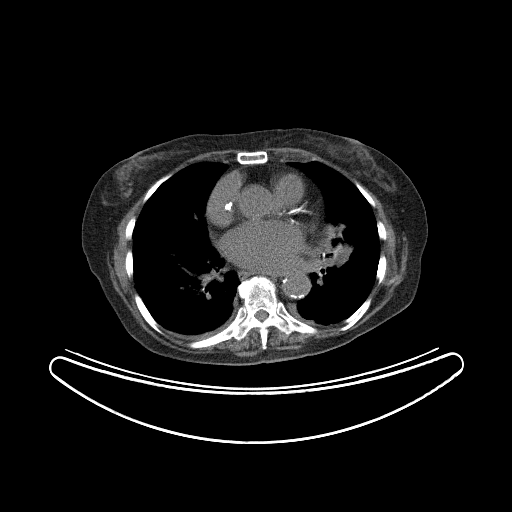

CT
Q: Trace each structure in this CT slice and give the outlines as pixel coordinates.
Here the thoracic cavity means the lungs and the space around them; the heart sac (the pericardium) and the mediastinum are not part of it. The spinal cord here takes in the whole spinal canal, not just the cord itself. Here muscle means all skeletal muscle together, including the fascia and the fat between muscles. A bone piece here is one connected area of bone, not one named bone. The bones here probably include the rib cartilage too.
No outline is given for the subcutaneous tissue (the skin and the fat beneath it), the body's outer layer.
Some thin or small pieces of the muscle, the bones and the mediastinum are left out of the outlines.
A: The mediastinum appears in 3 outlined pieces: piece 1: [[326,221],[325,234],[309,273],[311,287],[305,297],[294,301],[295,305],[290,312],[285,304],[278,299],[276,285],[271,279],[265,275],[253,275],[240,281],[237,273],[228,269],[224,259],[220,256],[242,270],[262,273],[285,270],[312,255],[323,235]]; piece 2: [[271,159],[272,160],[278,160],[282,162],[288,162],[289,163],[291,163],[290,164],[291,165],[299,168],[300,170],[309,178],[310,178],[315,184],[313,184],[303,173],[296,169],[294,169],[291,167],[288,167],[284,165],[277,164],[276,163],[265,163]]; piece 3: [[231,161],[236,161],[237,163],[241,165],[248,165],[245,165],[244,166],[241,166],[240,167],[235,167],[223,173],[228,168],[228,165],[225,162],[222,162],[230,162]]. The torso is outlined by [[292,127],[323,130],[354,138],[388,156],[411,179],[423,201],[428,225],[421,275],[412,302],[396,315],[342,346],[285,361],[254,365],[194,363],[166,357],[142,346],[121,324],[91,272],[82,249],[82,218],[97,180],[118,161],[176,137]]. The spinal cord is outlined by [[260,310],[263,310],[264,311],[265,311],[268,314],[268,315],[267,316],[267,317],[265,319],[264,319],[263,320],[259,320],[255,316],[255,314],[258,311],[259,311]]. The bones appear in 10 outlined pieces: piece 1: [[253,276],[265,276],[271,280],[277,299],[286,310],[318,331],[314,334],[293,331],[287,335],[270,326],[266,349],[263,349],[259,330],[254,327],[240,340],[231,338],[207,347],[189,347],[189,342],[216,334],[234,319],[241,303],[237,287],[241,281]], around a hole outlined by [[260,310],[263,310],[264,311],[265,311],[268,314],[268,315],[267,316],[267,317],[265,319],[264,319],[263,320],[259,320],[255,316],[255,314],[258,311],[259,311]]; piece 2: [[257,150],[263,150],[264,151],[267,152],[267,153],[268,154],[268,160],[266,162],[265,162],[264,163],[256,163],[255,164],[241,164],[240,163],[237,162],[237,161],[236,160],[236,154],[238,152],[239,152],[240,151],[256,151]]; piece 3: [[369,296],[371,298],[371,302],[370,303],[370,305],[369,306],[369,307],[367,309],[367,310],[363,314],[363,315],[353,325],[352,325],[348,329],[347,329],[346,330],[339,330],[339,328],[343,324],[343,321],[349,316],[350,316],[364,302],[364,301]]; piece 4: [[135,293],[137,293],[139,295],[143,303],[147,308],[150,314],[159,324],[159,326],[162,330],[162,332],[163,333],[162,334],[157,332],[144,319],[144,318],[142,316],[141,313],[139,311],[137,307],[137,305],[134,299],[134,294]]; piece 5: [[168,173],[171,173],[172,174],[172,175],[169,178],[168,178],[165,181],[164,181],[155,190],[155,191],[144,203],[143,202],[143,199],[144,198],[144,196],[145,195],[147,190],[158,179],[159,179],[161,177],[162,177],[164,175],[165,175]]; piece 6: [[380,254],[384,254],[385,255],[385,257],[386,258],[386,266],[385,267],[385,274],[384,275],[384,277],[383,278],[382,281],[380,283],[378,283],[378,282],[376,279],[376,273],[377,272],[377,268],[378,267],[378,263],[379,262],[379,258],[380,257]]; piece 7: [[129,249],[130,249],[131,250],[131,251],[132,252],[132,258],[133,259],[133,277],[132,278],[129,278],[129,277],[128,276],[128,275],[127,274],[127,272],[126,271],[126,269],[125,268],[125,257],[126,256],[126,253],[127,252],[127,251]]; piece 8: [[132,216],[135,216],[136,217],[136,220],[135,221],[135,224],[134,225],[134,227],[133,228],[133,231],[132,232],[132,237],[130,240],[128,240],[127,239],[126,239],[126,238],[125,237],[125,228],[126,227],[126,225],[127,224],[128,221]]; piece 9: [[355,182],[358,182],[368,192],[368,193],[371,196],[371,197],[373,199],[373,200],[374,201],[374,202],[375,203],[375,206],[374,207],[372,207],[372,206],[368,202],[368,201],[365,198],[365,197],[361,193],[361,192],[358,189],[358,188],[355,185]]; piece 10: [[377,220],[380,220],[383,223],[383,224],[384,225],[384,226],[385,227],[385,230],[386,231],[386,238],[384,240],[381,240],[379,238],[379,236],[378,235],[378,229],[377,228]]. The thoracic cavity appears in 2 outlined pieces: piece 1: [[201,161],[227,165],[207,198],[204,216],[210,244],[223,259],[225,267],[234,271],[239,279],[236,292],[240,303],[233,319],[224,328],[207,337],[192,340],[171,333],[160,325],[138,293],[134,281],[132,238],[137,218],[144,204],[156,190],[178,171]]; piece 2: [[310,161],[325,164],[354,184],[372,208],[380,245],[375,281],[367,297],[350,315],[329,327],[312,326],[290,313],[296,305],[295,301],[305,298],[310,292],[312,287],[310,277],[312,265],[322,245],[328,223],[321,190],[299,167],[291,164],[305,164]]. The pericardium is outlined by [[261,164],[276,164],[291,168],[303,174],[318,188],[320,192],[323,202],[325,221],[322,235],[317,245],[313,248],[311,255],[291,267],[265,272],[242,269],[227,261],[219,253],[212,242],[208,222],[205,216],[208,198],[216,182],[223,174],[235,168]]. The muscle appears in 4 outlined pieces: piece 1: [[362,185],[394,212],[402,226],[408,243],[406,274],[403,280],[390,299],[356,328],[337,336],[317,339],[307,346],[295,349],[267,349],[270,327],[275,327],[287,336],[293,332],[314,335],[319,331],[317,328],[329,328],[342,322],[338,330],[346,331],[370,307],[372,298],[369,294],[374,283],[376,280],[380,284],[386,274],[387,258],[381,253],[380,240],[387,238],[387,231],[384,223],[376,219],[373,211],[376,203]]; piece 2: [[145,192],[139,214],[137,217],[132,215],[124,228],[125,239],[131,240],[131,249],[125,253],[124,268],[128,278],[133,278],[137,292],[133,294],[133,299],[143,319],[161,335],[164,333],[161,326],[171,334],[191,340],[187,343],[191,349],[207,348],[231,339],[240,341],[251,329],[256,328],[260,347],[263,350],[251,356],[239,356],[227,352],[182,351],[155,339],[135,320],[113,287],[107,265],[107,254],[116,227]]; piece 3: [[267,147],[293,147],[294,148],[300,148],[310,151],[345,170],[358,181],[355,181],[354,183],[352,182],[339,171],[325,163],[317,160],[314,156],[312,156],[309,161],[305,163],[282,161],[278,159],[272,159],[271,158],[269,159],[268,152],[263,149]]; piece 4: [[224,149],[238,149],[239,150],[244,150],[240,150],[235,154],[235,160],[231,160],[230,161],[201,160],[200,161],[196,161],[193,163],[191,163],[185,167],[178,170],[173,174],[171,172],[169,172],[185,160],[198,154],[208,152],[209,151],[223,150]].